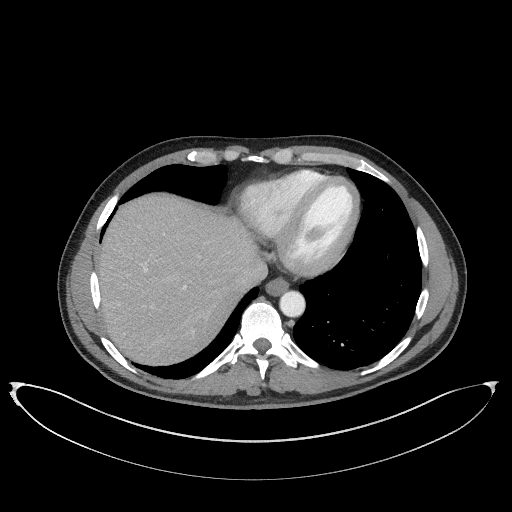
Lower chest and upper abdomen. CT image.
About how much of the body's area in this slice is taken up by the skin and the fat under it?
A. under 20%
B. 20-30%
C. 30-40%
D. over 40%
Answer: A. under 20%
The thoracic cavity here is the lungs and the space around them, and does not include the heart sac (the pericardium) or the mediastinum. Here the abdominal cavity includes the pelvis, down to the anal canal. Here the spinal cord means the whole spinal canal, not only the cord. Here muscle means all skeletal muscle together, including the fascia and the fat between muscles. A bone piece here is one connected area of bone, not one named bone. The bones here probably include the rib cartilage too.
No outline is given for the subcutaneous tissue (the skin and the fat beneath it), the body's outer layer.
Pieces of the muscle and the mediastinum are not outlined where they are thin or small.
Outlines (x, y in pixels):
muscle: [[223,396],[231,395],[232,394],[258,395],[264,390],[272,390],[280,393],[291,393],[292,394],[315,394],[336,388],[341,388],[342,387],[346,387],[347,386],[362,383],[371,380],[380,375],[382,375],[408,361],[425,347],[431,344],[444,330],[452,315],[452,312],[455,305],[456,296],[458,291],[458,280],[457,279],[457,271],[455,267],[455,264],[446,244],[443,241],[442,237],[435,223],[429,214],[423,206],[390,173],[374,163],[371,160],[360,154],[330,146],[317,146],[316,145],[292,145],[286,147],[275,146],[256,152],[253,152],[249,148],[245,146],[238,145],[237,144],[228,145],[223,148],[219,148],[218,149],[212,147],[193,147],[192,148],[182,149],[163,155],[140,166],[126,176],[116,186],[112,193],[96,209],[84,231],[84,234],[73,256],[66,276],[66,304],[67,305],[67,311],[73,330],[79,340],[89,352],[110,369],[113,370],[121,376],[127,378],[129,380],[140,385],[142,385],[149,389],[154,389],[158,391],[166,392],[167,393],[180,393],[181,394],[194,394],[195,395],[222,395]] with a hole at [[191,379],[204,377],[226,362],[233,364],[244,354],[255,357],[262,379],[272,355],[294,368],[299,363],[319,368],[321,363],[351,369],[374,362],[360,375],[375,371],[398,356],[412,338],[404,336],[411,320],[420,318],[427,302],[428,290],[421,287],[421,267],[427,266],[428,254],[420,226],[413,226],[385,175],[362,159],[338,153],[303,152],[297,160],[314,164],[296,165],[290,148],[282,148],[268,158],[242,156],[239,151],[228,149],[220,154],[193,150],[186,158],[195,165],[160,167],[121,197],[116,193],[108,200],[96,224],[96,230],[101,232],[98,269],[90,275],[93,303],[101,310],[108,334],[100,340],[132,372],[139,368],[164,378],[191,375]]
abdominal cavity: [[152,366],[171,365],[183,361],[203,349],[217,335],[241,298],[267,276],[267,264],[259,244],[250,230],[227,205],[206,204],[164,190],[152,191],[116,206],[116,211],[100,238],[98,269],[96,271],[100,286],[100,309],[108,337],[131,363],[135,362]]
pericardium: [[294,279],[312,278],[330,269],[341,258],[351,242],[360,216],[361,198],[355,184],[340,172],[319,167],[292,166],[288,168],[282,168],[265,176],[244,180],[240,182],[230,194],[227,203],[228,206],[241,218],[254,234],[265,256],[272,266],[293,277]]
thoracic cavity 1: [[336,369],[361,367],[387,353],[404,336],[421,289],[421,263],[415,230],[403,203],[387,184],[351,168],[347,168],[347,172],[364,199],[360,220],[352,242],[336,265],[300,285],[300,291],[306,299],[306,310],[291,333],[294,341],[306,353],[320,363]]
thoracic cavity 2: [[117,205],[120,203],[123,203],[133,197],[141,195],[143,193],[146,193],[152,190],[160,190],[161,189],[175,192],[186,197],[203,201],[206,203],[217,203],[220,199],[226,182],[227,168],[222,164],[210,166],[171,164],[160,167],[134,184],[120,198]]
thoracic cavity 3: [[164,378],[184,378],[190,376],[200,370],[212,360],[232,339],[239,327],[239,321],[242,311],[256,297],[258,293],[258,288],[257,287],[252,288],[242,298],[218,335],[203,350],[195,356],[183,362],[167,367],[164,366],[152,367],[132,363],[137,368]]
thoracic cavity 4: [[100,237],[101,237],[101,236],[103,234],[105,230],[105,228],[109,220],[111,218],[111,217],[113,215],[115,211],[115,208],[116,207],[115,207],[114,210],[110,215],[107,222],[102,228],[101,230],[101,235]]
mediastinum 1: [[290,333],[293,325],[305,310],[305,299],[298,288],[299,285],[305,280],[294,280],[293,278],[283,274],[277,269],[272,267],[267,260],[268,276],[264,281],[258,284],[259,293],[257,297],[252,301],[263,300],[272,304],[277,309],[282,318],[284,329]]
mediastinum 2: [[218,204],[226,204],[231,190],[240,181],[255,176],[265,175],[282,167],[292,165],[319,166],[340,171],[348,177],[349,176],[346,172],[347,167],[336,164],[282,165],[271,161],[268,163],[243,162],[240,160],[223,162],[221,163],[228,168],[228,177]]
bones 1: [[191,379],[204,377],[226,362],[233,364],[244,354],[255,357],[262,379],[272,355],[278,356],[294,368],[299,363],[313,368],[319,368],[320,364],[299,348],[290,334],[283,329],[276,309],[269,303],[259,301],[250,303],[243,311],[240,327],[231,342]]; inner edge: [[260,352],[263,352],[264,351],[265,351],[268,348],[269,348],[270,347],[270,343],[269,342],[269,341],[268,340],[267,340],[265,338],[259,338],[258,339],[257,339],[253,343],[253,345],[254,346],[254,347],[255,348],[256,348]]
bones 2: [[196,165],[216,164],[220,159],[226,161],[240,159],[255,162],[268,162],[271,160],[277,163],[289,164],[292,163],[294,153],[290,148],[282,148],[266,158],[253,154],[242,156],[239,151],[228,149],[220,154],[214,151],[193,150],[186,155],[186,158]]
bones 3: [[388,184],[390,184],[391,182],[385,175],[374,168],[364,160],[352,156],[349,156],[344,154],[339,154],[338,153],[303,152],[301,153],[297,158],[298,161],[305,161],[306,162],[311,162],[312,163],[336,163],[337,164],[344,165],[360,171],[369,173]]
bones 4: [[360,375],[364,375],[367,373],[370,373],[373,371],[375,371],[389,363],[397,356],[398,356],[398,355],[408,345],[412,338],[412,336],[411,335],[409,335],[408,336],[404,337],[387,354],[375,362],[375,363],[371,367],[362,370],[359,373]]
bones 5: [[135,373],[136,373],[136,368],[133,365],[130,364],[129,362],[127,361],[127,360],[118,351],[118,350],[109,340],[109,339],[108,339],[104,336],[101,336],[100,337],[100,340],[104,347],[107,350],[107,351],[124,367],[130,370],[132,372],[134,372]]
bones 6: [[98,232],[100,231],[101,228],[106,222],[109,215],[111,213],[114,207],[116,205],[120,197],[120,195],[118,193],[116,193],[114,194],[108,200],[108,201],[104,206],[101,213],[99,215],[98,217],[98,219],[97,220],[97,223],[96,224],[96,230]]
bones 7: [[424,267],[426,267],[427,266],[427,263],[428,262],[427,245],[426,244],[426,241],[425,240],[425,237],[423,234],[423,232],[420,226],[418,225],[415,229],[416,230],[416,235],[417,236],[417,241],[418,242],[420,258],[421,259],[422,266]]
bones 8: [[97,309],[99,308],[99,302],[100,301],[100,297],[99,296],[99,286],[98,285],[98,282],[97,281],[97,275],[96,274],[96,272],[95,271],[92,271],[90,275],[90,291],[91,292],[91,295],[92,296],[92,299],[93,300],[94,306]]
bones 9: [[413,319],[419,319],[423,313],[423,311],[425,308],[425,306],[427,302],[427,299],[428,298],[428,290],[426,287],[422,288],[421,290],[421,292],[420,293],[420,295],[419,296],[419,298],[418,299],[418,301],[415,308],[415,313],[414,314]]
torso: [[237,410],[301,407],[357,395],[418,370],[435,358],[453,337],[467,291],[467,269],[461,245],[421,184],[379,149],[332,134],[180,136],[152,144],[126,159],[98,185],[83,207],[63,249],[57,273],[60,316],[76,351],[107,379],[130,391],[175,403]]
spinal cord: [[260,352],[263,352],[264,351],[265,351],[268,348],[269,348],[270,347],[270,343],[269,342],[269,341],[268,340],[267,340],[265,338],[259,338],[258,339],[257,339],[253,343],[253,345],[254,346],[254,347],[255,348],[256,348]]